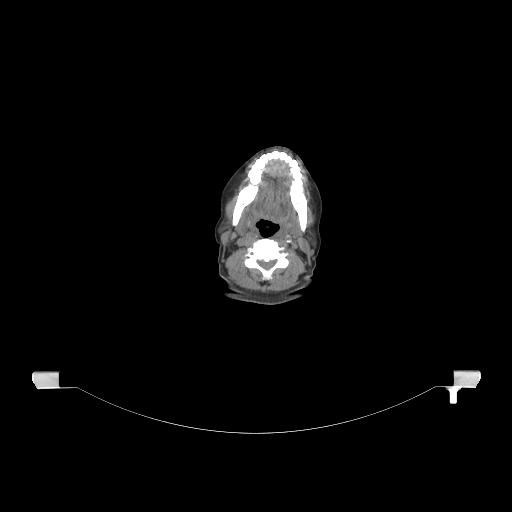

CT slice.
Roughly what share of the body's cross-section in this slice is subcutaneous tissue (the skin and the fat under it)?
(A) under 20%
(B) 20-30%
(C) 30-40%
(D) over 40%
Answer: (B) 20-30%
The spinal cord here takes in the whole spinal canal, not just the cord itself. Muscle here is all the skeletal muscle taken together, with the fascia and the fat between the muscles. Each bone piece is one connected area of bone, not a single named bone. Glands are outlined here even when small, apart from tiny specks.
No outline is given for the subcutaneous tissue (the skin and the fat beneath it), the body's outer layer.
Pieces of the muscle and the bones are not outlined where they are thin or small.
Outlines:
muscle 1: (258, 156) (247, 172) (247, 183) (236, 195) (231, 225) (239, 223) (245, 207) (256, 197) (267, 165) (280, 162) (291, 177) (288, 194) (299, 228) (314, 248) (311, 264) (299, 282) (281, 291) (262, 292) (237, 285) (222, 260) (220, 234) (230, 227) (226, 202) (245, 168) with a hole at (262, 220) (277, 226) (277, 229) (267, 236) (277, 241) (279, 246) (284, 247) (284, 250) (288, 254) (287, 258) (289, 262) (284, 268) (276, 268) (269, 280) (264, 280) (262, 273) (257, 268) (248, 268) (244, 264) (247, 248) (254, 241) (264, 236) (258, 226) (258, 223)
muscle 2: (299, 162) (302, 166) (310, 184) (310, 193) (312, 197) (312, 203) (313, 204) (313, 212) (315, 214) (315, 220) (314, 221) (314, 224) (313, 226) (307, 229) (307, 224) (308, 223) (308, 201) (304, 192) (304, 187) (303, 186) (303, 175) (301, 172) (301, 167) (299, 165)
parotid glands 1: (310, 228) (312, 228) (312, 229) (313, 230) (313, 231) (315, 234) (315, 246) (314, 247) (313, 246) (312, 246) (312, 245) (311, 244) (311, 243) (310, 242) (310, 241) (308, 239) (307, 239) (307, 238) (305, 235) (305, 232) (306, 231) (306, 230) (307, 230)
parotid glands 2: (224, 219) (226, 219) (227, 220) (227, 221) (229, 224) (229, 227) (228, 228) (228, 229) (227, 229) (226, 230) (225, 230) (224, 231) (223, 231) (220, 233) (220, 232) (219, 231) (219, 228) (220, 227) (220, 226) (221, 225) (221, 224) (222, 223) (222, 222) (224, 220)
head and neck: (273, 145) (286, 146) (300, 156) (319, 188) (323, 208) (319, 227) (321, 247) (312, 276) (313, 283) (300, 291) (304, 295) (299, 298) (281, 304) (265, 305) (239, 301) (221, 294) (227, 289) (218, 274) (218, 245) (213, 230) (220, 214) (220, 194) (227, 180) (250, 156), around a hole outlined by (262, 220) (264, 221) (267, 221) (268, 222) (270, 222) (272, 224) (275, 224) (277, 226) (277, 229) (276, 229) (275, 231) (273, 232) (273, 233) (267, 236) (264, 236) (262, 234) (261, 232) (261, 230) (258, 226) (258, 223)
spinal cord: (261, 260) (262, 261) (264, 261) (265, 262) (268, 262) (271, 260) (274, 260) (275, 261) (275, 262) (273, 264) (273, 265) (272, 266) (271, 266) (269, 268) (265, 268) (264, 267) (263, 267) (261, 265) (260, 265) (260, 264) (258, 262) (258, 261) (260, 261)
bones 1: (273, 150) (286, 152) (297, 160) (300, 167) (303, 192) (307, 201) (307, 223) (304, 232) (300, 228) (289, 194) (292, 180) (289, 168) (280, 161) (270, 161) (266, 165) (255, 197) (244, 207) (238, 223) (232, 225) (236, 198) (249, 181) (247, 175) (251, 165) (261, 154)
bones 2: (263, 237) (268, 237) (277, 241) (278, 245) (284, 247) (284, 250) (288, 254) (288, 265) (284, 268) (276, 268) (273, 271) (271, 278) (269, 280) (264, 280) (262, 278) (262, 273) (257, 268) (248, 268) (244, 264) (247, 248) (250, 247) (254, 241); inner edge: (261, 260) (262, 261) (264, 261) (265, 262) (268, 262) (271, 260) (274, 260) (275, 261) (275, 262) (273, 264) (273, 265) (272, 266) (271, 266) (269, 268) (265, 268) (264, 267) (263, 267) (261, 265) (260, 265) (260, 264) (258, 262) (258, 261) (260, 261)